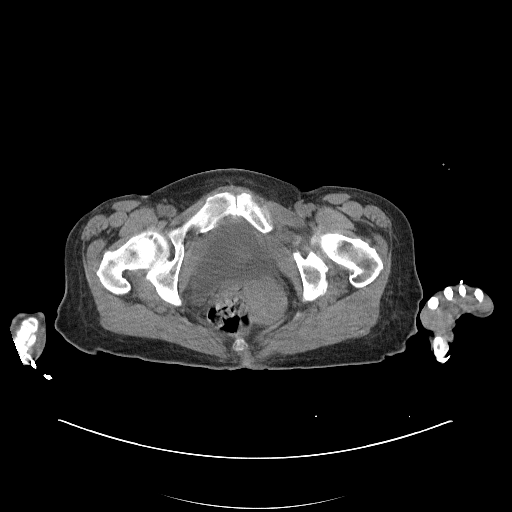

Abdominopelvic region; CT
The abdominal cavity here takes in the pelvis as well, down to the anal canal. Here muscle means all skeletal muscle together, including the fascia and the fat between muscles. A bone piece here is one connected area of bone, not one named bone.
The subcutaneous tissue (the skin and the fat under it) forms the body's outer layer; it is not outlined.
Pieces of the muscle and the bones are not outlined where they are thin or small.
The torso is outlined by [[219,168],[261,172],[302,190],[321,185],[355,187],[394,203],[411,226],[423,291],[417,332],[407,340],[405,349],[367,364],[213,370],[101,351],[90,354],[67,342],[54,328],[54,320],[65,289],[64,244],[76,221],[106,199],[148,194],[188,175]]. The bones appear in 7 outlined pieces: piece 1: [[223,191],[250,193],[268,211],[273,228],[262,233],[238,215],[223,217],[204,233],[191,228],[183,241],[177,279],[181,305],[163,300],[144,269],[122,273],[131,286],[124,294],[102,285],[96,271],[106,250],[147,228],[165,235],[192,216],[209,195]]; piece 2: [[326,232],[338,232],[349,237],[358,237],[373,247],[380,256],[383,263],[383,268],[374,280],[363,287],[359,288],[354,287],[349,282],[349,271],[345,267],[328,258],[321,252],[320,248],[317,245],[311,245],[310,238],[313,234],[315,233],[321,234]]; piece 3: [[296,250],[298,250],[303,257],[305,257],[307,255],[309,250],[313,250],[320,254],[328,266],[328,270],[326,273],[326,280],[327,281],[326,291],[324,294],[311,301],[303,301],[302,300],[302,292],[303,291],[302,281],[299,270],[293,257],[293,252]]; piece 4: [[31,316],[37,318],[38,320],[38,327],[37,330],[35,332],[35,341],[27,351],[31,356],[30,358],[31,361],[27,364],[23,364],[21,362],[21,359],[19,357],[18,353],[13,345],[13,337],[16,333],[16,330],[20,326],[21,321],[23,319]]; piece 5: [[436,335],[441,335],[445,339],[445,341],[447,343],[447,346],[448,347],[448,350],[445,353],[445,355],[443,357],[441,357],[440,356],[439,357],[437,357],[434,354],[434,353],[433,352],[433,349],[434,348],[432,346],[432,343],[433,342],[433,339]]; piece 6: [[240,338],[242,338],[247,343],[247,346],[244,349],[243,349],[242,350],[241,350],[240,351],[235,351],[233,349],[233,344],[235,342],[235,341],[237,339],[239,339]]; piece 7: [[432,296],[436,296],[438,298],[438,305],[437,306],[437,307],[435,309],[430,309],[429,308],[428,308],[428,306],[427,305],[427,302],[428,301],[428,300]]. The abdominal cavity is outlined by [[227,216],[242,217],[262,234],[279,270],[287,278],[293,289],[291,308],[287,313],[260,331],[250,341],[246,341],[242,337],[230,341],[220,332],[206,325],[198,313],[189,307],[186,299],[185,292],[197,271],[202,257],[203,236],[215,228],[219,222]]. The right arm is outlined by [[35,311],[41,311],[45,316],[45,324],[46,325],[46,341],[45,342],[45,346],[40,355],[34,361],[32,360],[27,364],[23,364],[21,362],[21,359],[13,345],[13,337],[14,336],[10,330],[10,323],[12,318],[19,312],[34,312]]. The left arm is outlined by [[459,282],[463,285],[475,286],[486,292],[493,302],[493,310],[485,317],[478,317],[470,313],[462,314],[456,320],[453,329],[454,337],[447,345],[448,350],[443,357],[437,357],[428,338],[433,333],[422,325],[420,308],[436,291]]. The muscle appears in 3 outlined pieces: piece 1: [[224,185],[246,187],[298,214],[307,214],[315,206],[321,196],[332,192],[343,192],[369,198],[381,207],[393,223],[391,271],[380,300],[379,321],[369,335],[322,346],[286,356],[282,359],[243,361],[237,357],[236,359],[230,358],[221,361],[215,356],[164,340],[116,334],[105,330],[99,324],[99,315],[85,278],[80,253],[80,234],[88,220],[114,202],[122,200],[148,202],[162,217],[172,217],[189,207],[204,194]], around holes outlined by [[223,191],[250,193],[268,211],[273,228],[262,236],[293,289],[287,313],[240,351],[188,305],[185,292],[204,235],[194,228],[183,241],[179,306],[157,294],[144,269],[122,273],[131,286],[124,294],[106,289],[96,274],[106,250],[147,228],[165,235]] and by [[326,232],[338,232],[349,237],[358,237],[373,247],[380,256],[383,263],[383,268],[374,280],[363,287],[359,288],[354,287],[349,282],[349,271],[345,267],[328,258],[321,252],[320,248],[317,245],[311,245],[310,238],[313,234],[315,233],[321,234]] and by [[296,250],[298,250],[303,257],[305,257],[307,255],[309,250],[313,250],[320,254],[328,266],[328,270],[326,273],[326,280],[327,281],[326,291],[324,294],[311,301],[303,301],[302,300],[302,292],[303,291],[302,281],[299,270],[293,257],[293,252]]; piece 2: [[452,288],[457,288],[462,298],[466,296],[467,290],[472,290],[479,303],[483,302],[484,296],[491,308],[489,312],[466,309],[457,311],[450,324],[447,342],[427,325],[423,315],[427,308],[435,310],[438,307],[439,295],[443,293],[451,301],[454,295]]; piece 3: [[38,318],[39,318],[40,320],[40,323],[41,324],[41,339],[40,340],[40,344],[39,345],[39,347],[35,350],[32,356],[28,352],[28,351],[30,349],[30,348],[35,343],[36,341],[36,332],[38,330],[38,328],[39,327],[39,320]].